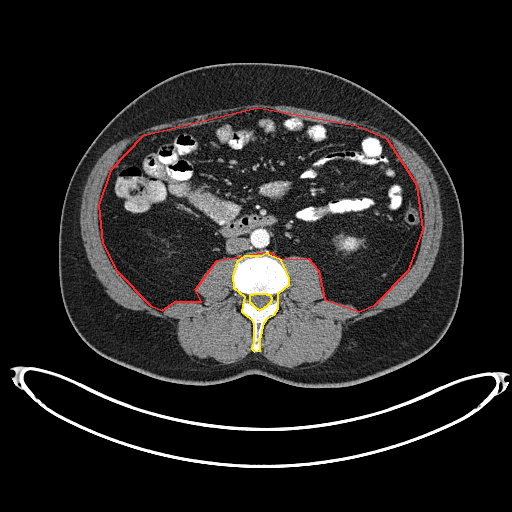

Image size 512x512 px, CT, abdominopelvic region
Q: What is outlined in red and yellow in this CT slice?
A: red: abdominal cavity; yellow: bones.
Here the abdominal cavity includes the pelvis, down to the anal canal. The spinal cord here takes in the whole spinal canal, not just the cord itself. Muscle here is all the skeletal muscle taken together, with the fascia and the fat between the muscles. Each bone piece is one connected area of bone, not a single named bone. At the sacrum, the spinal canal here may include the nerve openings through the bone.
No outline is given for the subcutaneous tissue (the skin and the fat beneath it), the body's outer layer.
The abdominal cavity is outlined by 359,311 375,304 409,269 423,229 417,185 387,139 356,126 257,108 142,136 110,170 98,205 102,243 116,270 150,305 162,310 175,301 201,301 195,289 217,260 268,251 281,259 308,258 318,270 324,299. The bones are outlined by 254,351 260,350 260,340 264,322 268,317 274,314 278,308 278,293 289,284 289,278 281,260 269,255 268,252 261,256 244,256 236,262 232,276 233,287 244,296 241,311 251,319 253,324 253,342 251,348, around a hole outlined by 258,309 261,309 262,308 263,308 265,306 266,306 270,302 271,302 271,300 272,299 272,298 271,297 271,296 270,295 267,295 266,294 253,294 252,295 250,295 249,296 249,302 250,302 256,308 257,308. The muscle is outlined by 288,368 293,368 303,363 313,364 324,362 334,353 339,345 344,328 358,320 376,315 386,309 404,303 415,293 428,276 439,249 442,235 443,218 437,183 430,168 419,154 394,136 373,125 368,124 365,121 356,121 329,113 291,105 272,105 264,103 254,103 219,109 160,123 144,128 108,147 98,158 87,178 82,194 79,217 81,237 87,258 95,272 96,277 106,288 107,294 115,302 125,308 136,311 144,311 154,316 167,318 176,326 178,341 185,353 192,359 195,357 198,359 211,358 221,364 230,364 241,360 249,353 253,352 261,354 274,364 with a hole at 254,351 289,284 284,257 311,260 324,299 359,311 412,265 424,208 387,139 257,108 142,136 110,170 98,224 116,270 162,310 175,301 201,301 195,289 206,270 222,257 236,259 232,282 253,324. The spinal cord is outlined by 258,309 261,309 262,308 263,308 265,306 266,306 270,302 271,302 271,300 272,299 272,298 271,297 271,296 270,295 267,295 266,294 253,294 252,295 250,295 249,296 249,302 250,302 256,308 257,308. The torso is outlined by 301,387 341,387 372,379 417,359 441,339 455,314 463,275 463,222 454,184 434,148 411,121 341,76 268,62 212,64 178,73 118,112 71,176 58,242 59,283 67,315 97,353 157,379 209,385 260,374.